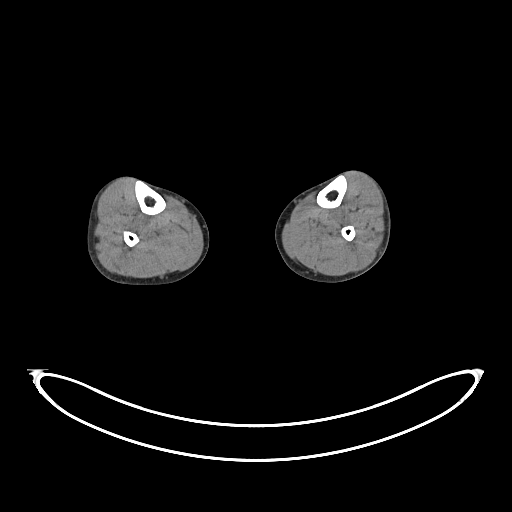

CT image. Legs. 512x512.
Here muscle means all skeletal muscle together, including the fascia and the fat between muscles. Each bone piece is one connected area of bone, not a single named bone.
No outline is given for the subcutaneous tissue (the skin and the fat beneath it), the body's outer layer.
Outlines (x, y in pixels):
muscle 1: 121 179; 134 180; 136 201; 141 212; 146 215; 153 216; 162 212; 166 207; 166 201; 161 194; 167 194; 181 201; 196 216; 203 235; 203 248; 193 265; 180 273; 162 278; 135 278; 110 272; 96 259; 92 222; 98 201; 109 185, around a hole outlined by 125 230; 127 230; 128 231; 131 231; 132 232; 135 233; 136 234; 136 235; 138 237; 138 238; 139 239; 138 242; 137 242; 133 246; 129 246; 125 242; 125 241; 124 240; 124 238; 123 237; 123 231; 124 231
muscle 2: 349 173; 366 177; 379 190; 383 202; 382 241; 372 261; 362 269; 339 276; 315 274; 296 263; 286 253; 281 239; 283 226; 299 200; 313 191; 318 190; 315 197; 318 206; 324 209; 337 208; 342 203; 347 191; 348 181; 345 175; inner edge: 347 225; 352 225; 353 226; 353 227; 354 228; 354 230; 355 231; 355 235; 354 236; 354 237; 352 239; 352 240; 351 240; 350 241; 348 241; 347 240; 346 240; 344 238; 344 237; 341 234; 341 229; 344 226; 346 226
bones 1: 137 179; 143 180; 150 187; 158 192; 162 196; 165 201; 165 207; 162 211; 161 211; 159 213; 157 213; 153 215; 149 215; 142 212; 142 211; 140 209; 139 204; 137 201; 137 199; 135 195; 135 191; 134 190; 135 180
bones 2: 338 174; 343 174; 345 176; 346 180; 347 181; 347 188; 343 196; 341 203; 337 207; 335 207; 334 208; 324 208; 323 207; 321 207; 319 205; 318 205; 316 201; 316 197; 319 190; 320 190; 324 186; 325 186; 329 182; 330 182
bones 3: 125 230; 127 230; 128 231; 131 231; 132 232; 135 233; 136 234; 136 235; 138 237; 138 238; 139 239; 138 242; 137 242; 133 246; 129 246; 125 242; 125 241; 124 240; 124 238; 123 237; 123 231; 124 231
bones 4: 347 225; 352 225; 353 226; 353 227; 354 228; 354 230; 355 231; 355 235; 354 236; 354 237; 352 239; 352 240; 351 240; 350 241; 348 241; 347 240; 346 240; 344 238; 344 237; 341 234; 341 229; 344 226; 346 226
right leg: 122 175; 135 176; 142 180; 177 192; 192 202; 203 215; 209 230; 209 248; 203 261; 194 271; 187 276; 178 281; 168 284; 129 285; 117 283; 106 278; 93 265; 88 255; 86 245; 86 232; 91 204; 97 191; 106 182; 115 177
left leg: 349 169; 361 170; 371 175; 380 184; 386 195; 391 218; 390 237; 387 248; 380 260; 372 268; 355 278; 335 283; 318 282; 306 279; 296 274; 285 264; 276 247; 274 239; 274 229; 277 219; 284 207; 300 192; 331 176; 344 170